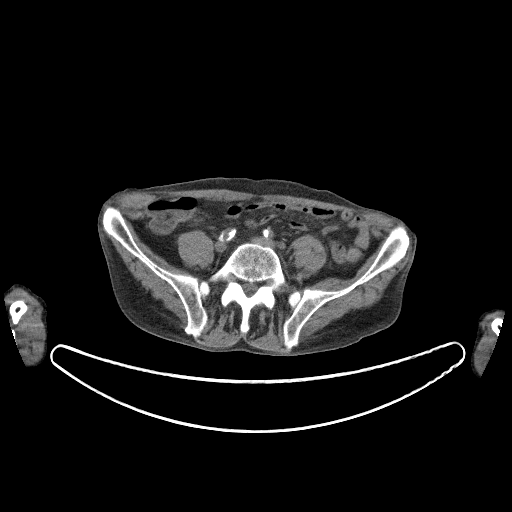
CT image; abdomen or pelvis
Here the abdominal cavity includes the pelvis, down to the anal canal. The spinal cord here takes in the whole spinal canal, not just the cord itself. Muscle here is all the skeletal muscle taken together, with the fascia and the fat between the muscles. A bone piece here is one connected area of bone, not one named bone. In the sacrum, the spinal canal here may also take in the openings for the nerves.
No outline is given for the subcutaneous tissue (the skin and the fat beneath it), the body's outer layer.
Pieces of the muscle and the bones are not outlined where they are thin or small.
The left arm is outlined by (496, 307) (503, 307) (505, 314) (502, 319) (501, 325) (499, 327) (499, 332) (497, 335) (498, 337) (489, 362) (481, 376) (477, 378) (471, 370) (470, 367) (470, 357) (474, 344) (474, 340) (476, 336) (476, 331) (478, 326) (477, 323) (478, 317) (484, 311). The right arm is outlined by (13, 283) (21, 283) (29, 287) (36, 294) (41, 296) (46, 302) (47, 306) (46, 307) (47, 309) (47, 332) (48, 333) (47, 334) (47, 352) (43, 361) (34, 367) (27, 367) (24, 364) (19, 351) (14, 343) (11, 333) (11, 329) (9, 325) (3, 297) (4, 291). The spinal cord is outlined by (237, 279) (243, 282) (249, 282) (250, 283) (252, 283) (253, 282) (255, 283) (259, 283) (260, 282) (266, 282) (266, 283) (262, 283) (259, 286) (257, 287) (257, 289) (250, 296) (248, 296) (246, 295) (246, 294) (244, 292) (243, 290) (243, 288) (241, 284) (237, 282). The abdominal cavity is outlined by (158, 196) (191, 196) (215, 202) (258, 198) (356, 213) (365, 218) (379, 244) (355, 275) (347, 279) (328, 276) (298, 288) (287, 281) (280, 258) (272, 247) (249, 241) (238, 244) (218, 269) (203, 278) (169, 263) (138, 236) (132, 221) (141, 214) (146, 204), around a hole outlined by (306, 234) (308, 234) (309, 235) (316, 237) (322, 243) (326, 253) (326, 260) (320, 270) (317, 273) (312, 275) (308, 278) (303, 278) (300, 276) (296, 269) (296, 267) (293, 260) (293, 255) (290, 248) (290, 243) (292, 240) (296, 237) (298, 237) (302, 235) (305, 235). The torso is outlined by (218, 176) (301, 182) (318, 189) (330, 190) (362, 206) (382, 210) (409, 224) (416, 234) (417, 243) (404, 287) (401, 311) (396, 321) (346, 347) (294, 356) (206, 351) (155, 336) (131, 323) (114, 297) (98, 236) (97, 216) (102, 203) (116, 191) (127, 187) (149, 187). The muscle appears in 8 outlined pieces: piece 1: (192, 189) (229, 189) (254, 194) (283, 194) (309, 198) (378, 212) (398, 220) (406, 228) (402, 224) (397, 224) (389, 231) (368, 268) (356, 280) (342, 288) (326, 290) (305, 287) (328, 277) (343, 280) (354, 277) (380, 244) (368, 221) (360, 213) (258, 197) (215, 201) (191, 195) (158, 195) (142, 207) (140, 214) (131, 223) (139, 239) (154, 253) (190, 274) (176, 273) (160, 266) (139, 247) (118, 208) (113, 205) (104, 208) (109, 201) (127, 192); piece 2: (219, 282) (225, 283) (219, 297) (220, 304) (226, 307) (235, 302) (240, 307) (239, 331) (242, 334) (250, 329) (250, 314) (255, 306) (263, 305) (271, 310) (277, 300) (275, 293) (281, 292) (288, 283) (298, 289) (304, 288) (301, 292) (297, 289) (291, 291) (286, 298) (292, 311) (283, 322) (282, 336) (283, 345) (290, 351) (281, 353) (259, 349) (242, 339) (228, 347) (198, 343) (194, 339) (202, 334) (208, 321) (202, 299) (209, 295) (210, 283); piece 3: (408, 231) (410, 235) (411, 240) (411, 249) (408, 260) (402, 269) (390, 281) (382, 297) (371, 306) (350, 310) (340, 318) (332, 321) (317, 331) (313, 337) (299, 343) (299, 336) (302, 328) (320, 307) (331, 300) (349, 293) (357, 286) (393, 267) (406, 255) (410, 244) (410, 243) (410, 236); piece 4: (15, 288) (24, 289) (35, 298) (42, 307) (42, 320) (44, 324) (44, 350) (43, 351) (43, 355) (37, 362) (35, 361) (28, 365) (24, 364) (16, 346) (17, 342) (15, 336) (15, 331) (12, 328) (10, 328) (7, 317) (7, 312) (4, 303) (4, 298) (3, 297); inner edge: (15, 300) (23, 300) (27, 306) (27, 309) (26, 310) (26, 311) (21, 316) (20, 319) (16, 324) (14, 324) (13, 323) (13, 322) (12, 321) (12, 319) (11, 318) (11, 315) (10, 314) (10, 312) (9, 311) (9, 306) (12, 303) (12, 302) (13, 302); piece 5: (105, 232) (109, 236) (115, 239) (133, 256) (141, 261) (158, 277) (164, 280) (171, 286) (178, 296) (186, 315) (186, 324) (183, 328) (183, 330) (183, 327) (178, 318) (163, 306) (162, 303) (159, 300) (155, 299) (151, 295) (151, 293) (142, 286) (140, 281) (132, 275); piece 6: (306, 234) (308, 234) (309, 235) (316, 237) (322, 243) (326, 253) (326, 260) (320, 270) (317, 273) (312, 275) (308, 278) (303, 278) (300, 276) (296, 269) (296, 267) (293, 260) (293, 255) (290, 248) (290, 243) (292, 240) (296, 237) (298, 237) (302, 235) (305, 235); piece 7: (192, 230) (200, 230) (204, 232) (211, 239) (213, 243) (213, 247) (214, 248) (213, 249) (213, 260) (207, 268) (194, 269) (187, 266) (182, 261) (182, 259) (180, 257) (180, 255) (178, 252) (178, 244) (177, 243) (177, 239) (178, 238) (178, 236) (184, 232) (188, 232); piece 8: (496, 311) (504, 311) (505, 314) (503, 318) (499, 316) (496, 316) (493, 318) (490, 322) (490, 327) (491, 329) (498, 337) (489, 362) (481, 376) (476, 371) (474, 365) (474, 358) (475, 357) (476, 349) (479, 343) (479, 341) (482, 337) (481, 322) (486, 315). The bones appear in 4 outlined pieces: piece 1: (108, 206) (119, 210) (138, 247) (172, 273) (207, 281) (238, 245) (258, 243) (277, 254) (287, 286) (274, 293) (271, 309) (250, 310) (242, 333) (241, 307) (220, 301) (226, 283) (210, 282) (201, 299) (207, 321) (194, 338) (184, 331) (187, 315) (172, 286) (105, 231), around a hole outlined by (237, 279) (243, 282) (249, 282) (250, 283) (252, 283) (253, 282) (255, 283) (259, 283) (260, 282) (266, 282) (266, 283) (262, 283) (259, 286) (257, 287) (257, 289) (250, 296) (248, 296) (246, 295) (246, 294) (244, 292) (243, 290) (243, 288) (241, 284) (237, 282); piece 2: (397, 225) (402, 225) (409, 236) (405, 255) (393, 266) (357, 285) (349, 292) (320, 306) (301, 328) (298, 345) (288, 350) (284, 345) (283, 336) (284, 322) (293, 311) (287, 300) (288, 295) (295, 290) (301, 293) (305, 288) (333, 291) (350, 285) (369, 268) (384, 240); piece 3: (15, 300) (23, 300) (27, 306) (27, 309) (26, 310) (26, 311) (21, 316) (20, 319) (16, 324) (14, 324) (13, 323) (13, 322) (12, 321) (12, 319) (11, 318) (11, 315) (10, 314) (10, 312) (9, 311) (9, 306) (12, 303) (12, 302) (13, 302); piece 4: (496, 317) (499, 317) (500, 318) (501, 318) (502, 319) (502, 321) (501, 322) (501, 325) (499, 327) (499, 332) (498, 333) (498, 334) (497, 335) (494, 332) (494, 331) (492, 329) (492, 328) (491, 327) (491, 322) (493, 320) (493, 319) (494, 319).